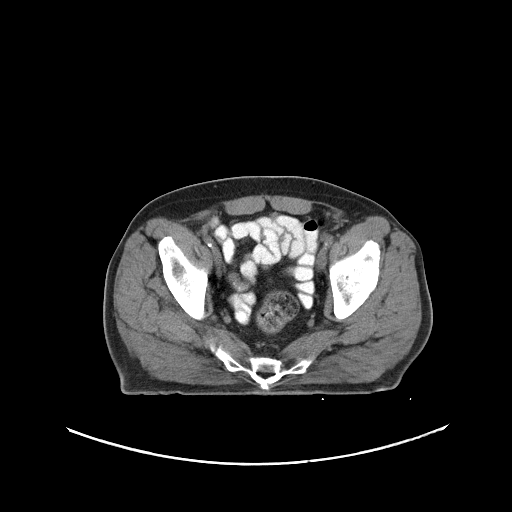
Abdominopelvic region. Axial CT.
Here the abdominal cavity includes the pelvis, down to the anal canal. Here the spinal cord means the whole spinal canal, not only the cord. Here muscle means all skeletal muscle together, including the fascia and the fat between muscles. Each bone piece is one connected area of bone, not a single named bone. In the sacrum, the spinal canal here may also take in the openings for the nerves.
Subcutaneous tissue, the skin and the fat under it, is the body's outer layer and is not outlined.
The torso is outlined by 236 176; 305 176; 333 183; 379 203; 416 238; 423 255; 433 323; 424 348; 397 386; 370 394; 348 395; 263 396; 181 395; 178 393; 127 395; 121 391; 103 330; 104 282; 107 266; 116 246; 135 214; 152 199; 191 184. The bones appear in 3 outlined pieces: piece 1: 368 239; 372 239; 377 242; 380 248; 379 275; 378 276; 378 280; 376 286; 364 302; 355 311; 347 317; 338 320; 333 313; 333 296; 332 295; 332 290; 329 280; 329 266; 334 262; 343 258; 345 256; 353 254; 356 252; piece 2: 167 235; 172 237; 184 255; 194 265; 200 268; 205 267; 208 270; 208 283; 205 291; 205 303; 204 304; 205 316; 200 320; 197 320; 190 316; 180 306; 169 290; 164 280; 162 272; 162 264; 159 257; 157 245; 158 242; 164 236; piece 3: 210 343; 216 346; 220 345; 244 365; 248 363; 246 360; 249 357; 275 358; 281 360; 287 366; 304 358; 311 357; 313 360; 305 372; 299 374; 285 374; 270 384; 269 389; 262 389; 247 372; 242 370; 229 371; 223 362; 210 350. The spinal cord is outlined by 259 372; 261 372; 262 373; 272 373; 272 374; 268 374; 266 376; 263 376; 263 375; 262 374; 260 374; 259 373. The abdominal cavity is outlined by 266 202; 275 210; 293 214; 314 209; 329 212; 337 222; 348 227; 328 250; 329 285; 322 319; 288 343; 277 354; 280 359; 252 356; 248 345; 220 322; 214 313; 209 284; 212 255; 189 227; 207 222; 220 211; 252 214; 261 211. The muscle is outlined by 260 194; 323 201; 350 218; 383 216; 413 242; 420 326; 403 358; 374 381; 270 389; 285 375; 305 373; 313 362; 309 356; 287 365; 278 354; 323 319; 329 286; 338 321; 369 297; 379 280; 381 248; 368 238; 329 265; 330 248; 349 227; 329 211; 293 213; 275 209; 268 201; 252 213; 220 210; 207 221; 188 226; 211 255; 209 274; 207 267; 197 266; 185 255; 171 235; 156 245; 163 280; 190 317; 200 321; 206 316; 209 285; 213 313; 247 345; 251 356; 244 364; 220 344; 210 342; 208 348; 229 372; 247 373; 261 389; 247 382; 161 380; 130 356; 113 303; 116 271; 129 236; 153 217; 180 219; 221 201.